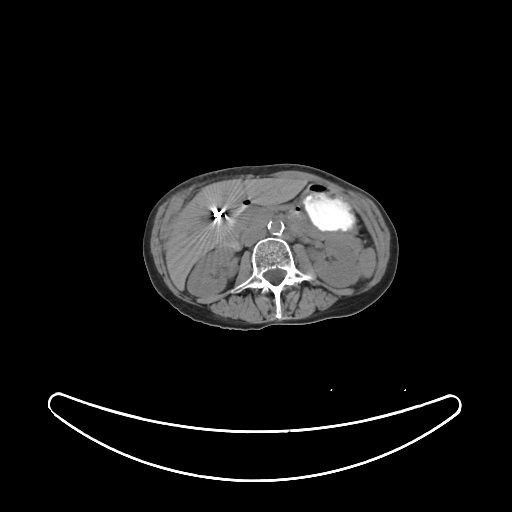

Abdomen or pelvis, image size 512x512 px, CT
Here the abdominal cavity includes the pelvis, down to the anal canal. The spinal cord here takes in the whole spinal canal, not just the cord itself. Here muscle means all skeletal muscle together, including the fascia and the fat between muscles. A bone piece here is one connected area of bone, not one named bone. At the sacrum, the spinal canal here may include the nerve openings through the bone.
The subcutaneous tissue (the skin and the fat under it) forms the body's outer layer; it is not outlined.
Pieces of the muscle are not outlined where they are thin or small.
The muscle appears in 2 outlined pieces: piece 1: (281, 170) (312, 171) (318, 175) (333, 180) (345, 188) (362, 194) (375, 204) (390, 233) (390, 256) (385, 273) (380, 281) (369, 290) (359, 295) (343, 297) (329, 308) (309, 317) (301, 319) (273, 320) (263, 323) (248, 323) (239, 319) (235, 320) (220, 317) (205, 308) (195, 306) (176, 297) (168, 289) (162, 276) (157, 271) (150, 249) (150, 237) (153, 222) (160, 205) (173, 194) (195, 183) (221, 180) (226, 177) (232, 177) (239, 174) (265, 176); inner edge: (273, 177) (309, 180) (351, 203) (375, 248) (372, 277) (357, 287) (327, 284) (318, 278) (308, 250) (298, 242) (292, 246) (295, 266) (314, 279) (282, 290) (282, 319) (275, 315) (270, 291) (229, 289) (198, 297) (172, 284) (164, 264) (164, 242) (193, 194) (224, 180); piece 2: (245, 252) (248, 252) (250, 254) (250, 262) (251, 263) (252, 270) (251, 271) (251, 273) (250, 275) (246, 279) (240, 282) (238, 284) (236, 284) (235, 285) (234, 284) (237, 278) (237, 275) (238, 274) (238, 272) (240, 269) (240, 262) (241, 261) (241, 258) (245, 253). The bones are outlined by (273, 236) (279, 236) (289, 245) (295, 266) (314, 277) (310, 281) (303, 280) (295, 285) (287, 285) (282, 290) (282, 319) (275, 315) (274, 295) (270, 291) (263, 293) (259, 288) (245, 288) (239, 292) (230, 290) (251, 275) (251, 254) (254, 245) (263, 238), around a hole outlined by (274, 269) (280, 269) (281, 270) (283, 270) (285, 272) (285, 273) (284, 274) (284, 276) (282, 278) (282, 279) (277, 284) (274, 284) (273, 283) (272, 283) (271, 282) (270, 282) (264, 276) (264, 274) (267, 271) (268, 271) (269, 270) (273, 270). The torso is outlined by (274, 163) (301, 163) (321, 168) (364, 189) (380, 202) (396, 229) (399, 243) (397, 269) (391, 285) (379, 299) (358, 313) (308, 324) (271, 325) (259, 330) (243, 331) (206, 325) (182, 315) (154, 289) (144, 264) (142, 237) (151, 208) (169, 189) (194, 175) (233, 166). The spinal cord is outlined by (274, 269) (280, 269) (281, 270) (283, 270) (285, 272) (285, 273) (284, 274) (284, 276) (282, 278) (282, 279) (277, 284) (274, 284) (273, 283) (272, 283) (271, 282) (270, 282) (264, 276) (264, 274) (267, 271) (268, 271) (269, 270) (273, 270). The abdominal cavity is outlined by (273, 177) (309, 180) (351, 203) (375, 248) (372, 277) (357, 287) (327, 284) (318, 278) (303, 243) (294, 244) (293, 253) (283, 238) (273, 235) (259, 239) (251, 253) (244, 252) (228, 290) (198, 297) (172, 284) (164, 264) (164, 242) (176, 215) (193, 194) (224, 180).